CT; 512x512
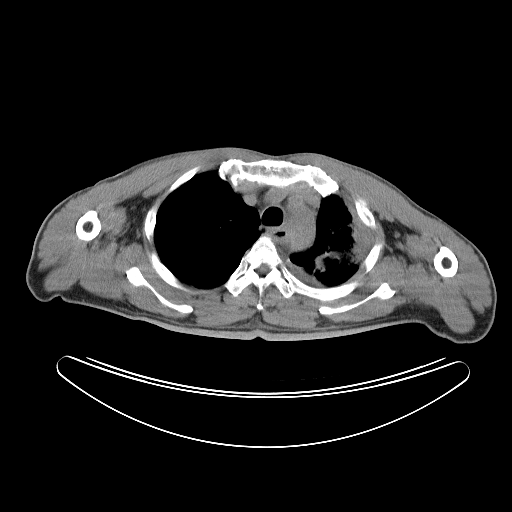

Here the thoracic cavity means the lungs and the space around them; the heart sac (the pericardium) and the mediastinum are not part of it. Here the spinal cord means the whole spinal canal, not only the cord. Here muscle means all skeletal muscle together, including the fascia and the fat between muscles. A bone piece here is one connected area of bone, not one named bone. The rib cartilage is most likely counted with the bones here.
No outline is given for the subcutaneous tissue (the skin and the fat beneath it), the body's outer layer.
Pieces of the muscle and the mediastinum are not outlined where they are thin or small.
Outlined structures:
thoracic cavity 1: [[212,171],[216,171],[217,175],[222,180],[227,181],[233,191],[240,195],[248,206],[253,207],[256,210],[259,221],[257,227],[259,235],[244,252],[238,265],[222,284],[202,288],[181,281],[161,261],[154,243],[154,232],[158,209],[166,197],[195,175]]
thoracic cavity 2: [[337,193],[340,193],[348,201],[355,215],[369,228],[371,247],[367,254],[359,261],[357,270],[348,280],[333,286],[310,285],[299,279],[290,271],[285,263],[285,259],[291,254],[306,251],[314,243],[316,236],[316,220],[322,199],[330,195],[336,195]]
left arm: [[438,216],[461,232],[478,247],[487,260],[495,283],[497,293],[497,301],[494,321],[488,333],[477,342],[455,343],[448,339],[436,335],[427,327],[418,323],[420,297],[416,283],[416,253],[419,241],[419,236],[423,228],[425,227],[425,225],[431,219]]
bones 1: [[262,234],[271,238],[279,254],[285,258],[286,267],[302,282],[314,287],[333,287],[356,279],[360,284],[346,296],[324,302],[299,293],[286,298],[272,283],[263,291],[263,309],[259,310],[256,307],[258,289],[252,283],[237,296],[233,296],[222,285]] with a hole at [[261,264],[266,264],[269,267],[269,270],[268,271],[268,272],[267,272],[264,275],[260,275],[256,271],[256,269]]
bones 2: [[231,158],[244,161],[278,159],[302,165],[310,164],[317,166],[337,182],[339,188],[338,192],[323,197],[312,187],[302,186],[299,183],[279,187],[275,185],[260,185],[256,182],[251,182],[243,187],[235,188],[229,181],[222,179],[217,172],[220,164]]
bones 3: [[382,282],[387,282],[390,287],[395,290],[395,293],[390,298],[387,299],[380,299],[377,297],[374,297],[346,311],[339,312],[338,313],[333,313],[328,315],[324,315],[319,312],[318,309],[321,305],[336,306],[340,304],[349,304],[359,301],[372,293]]
bones 4: [[132,266],[138,267],[144,278],[155,289],[155,290],[163,297],[175,304],[188,304],[192,306],[193,310],[190,313],[182,313],[163,304],[157,298],[153,292],[146,286],[143,285],[142,286],[134,286],[130,283],[128,280],[125,272],[128,268]]
bones 5: [[90,209],[93,209],[97,212],[97,215],[98,216],[98,218],[101,224],[101,228],[98,234],[94,238],[93,238],[89,241],[85,241],[84,240],[79,239],[77,237],[76,235],[76,233],[75,232],[75,226],[76,225],[76,223],[78,219],[86,211]]
bones 6: [[441,245],[444,245],[445,246],[447,246],[454,253],[454,254],[457,258],[457,261],[458,262],[457,271],[456,273],[452,277],[442,277],[441,275],[439,273],[438,273],[438,272],[434,267],[434,265],[433,264],[433,257],[434,255],[438,251],[439,247]]
bones 7: [[152,252],[155,252],[157,254],[160,261],[187,288],[188,288],[191,291],[191,292],[190,291],[185,291],[184,290],[179,289],[176,287],[174,287],[167,283],[159,276],[159,275],[156,272],[156,271],[152,266],[152,264],[149,258],[149,254]]
bones 8: [[357,196],[362,198],[366,202],[367,204],[367,206],[373,214],[374,216],[374,218],[375,219],[375,228],[374,229],[371,229],[369,227],[365,225],[358,217],[356,213],[356,209],[355,208],[355,205],[354,204],[354,198]]
bones 9: [[376,242],[381,242],[382,243],[382,247],[380,250],[380,253],[379,254],[379,256],[376,262],[372,267],[372,268],[367,273],[364,273],[364,271],[365,269],[363,267],[362,268],[359,268],[359,266],[360,264],[363,261],[365,257],[368,254],[372,246]]
bones 10: [[152,206],[156,206],[158,208],[157,209],[157,211],[156,212],[156,215],[155,216],[155,226],[154,227],[154,231],[153,232],[153,241],[152,242],[150,242],[148,240],[144,232],[144,219],[145,218],[145,216],[146,215],[146,213],[147,211]]
bones 11: [[195,166],[199,166],[200,167],[200,169],[199,171],[190,179],[189,179],[187,181],[186,181],[184,183],[180,185],[177,188],[176,188],[174,190],[170,192],[167,195],[166,195],[166,191],[170,187],[170,186],[182,174],[183,174],[189,169]]
muscle: [[219,148],[250,150],[272,157],[298,154],[322,155],[364,171],[392,187],[420,212],[452,230],[472,248],[482,263],[489,281],[492,304],[479,327],[469,334],[455,334],[438,313],[427,307],[397,308],[383,316],[349,321],[316,330],[276,327],[263,321],[259,316],[239,324],[207,327],[90,293],[69,290],[46,291],[35,267],[34,258],[39,251],[39,244],[49,221],[72,198],[97,185],[117,180],[154,161],[184,153]], around holes outlined by [[231,158],[317,166],[337,182],[355,213],[354,198],[366,202],[375,219],[375,228],[369,229],[371,245],[381,242],[382,247],[367,273],[358,268],[349,278],[359,281],[356,288],[324,302],[299,293],[286,298],[272,283],[263,291],[259,310],[252,283],[233,296],[221,284],[202,288],[182,281],[191,292],[159,276],[149,258],[157,252],[155,244],[144,232],[147,211],[158,208],[189,169],[199,166],[198,174],[216,171]] and by [[382,282],[387,282],[390,287],[395,290],[395,293],[390,298],[387,299],[380,299],[377,297],[374,297],[346,311],[339,312],[338,313],[333,313],[328,315],[324,315],[319,312],[318,309],[321,305],[336,306],[340,304],[349,304],[359,301],[372,293]] and by [[132,266],[138,267],[144,278],[155,289],[155,290],[163,297],[175,304],[188,304],[192,306],[193,310],[190,313],[182,313],[163,304],[157,298],[153,292],[146,286],[143,285],[142,286],[134,286],[130,283],[128,280],[125,272],[128,268]] and by [[90,209],[93,209],[97,212],[97,215],[98,216],[98,218],[101,224],[101,228],[98,234],[94,238],[93,238],[89,241],[85,241],[84,240],[79,239],[77,237],[76,235],[76,233],[75,232],[75,226],[76,225],[76,223],[78,219],[86,211]] and by [[441,245],[444,245],[445,246],[447,246],[454,253],[454,254],[457,258],[457,261],[458,262],[457,271],[456,273],[452,277],[442,277],[441,275],[439,273],[438,273],[438,272],[434,267],[434,265],[433,264],[433,257],[434,255],[438,251],[439,247]] and by [[137,197],[140,197],[142,199],[149,199],[150,198],[152,198],[152,199],[149,206],[144,212],[140,226],[135,232],[134,239],[129,241],[129,238],[125,235],[130,229],[130,226],[132,222],[129,219],[129,214],[128,213],[129,207],[125,203],[127,201]] and by [[383,221],[385,221],[391,224],[400,225],[405,229],[405,231],[402,235],[402,238],[401,240],[400,239],[395,239],[393,241],[393,246],[391,246],[387,242],[387,235],[385,231],[385,227],[383,224]]
spinal cord: [[261,264],[266,264],[269,267],[269,270],[268,271],[268,272],[267,272],[264,275],[260,275],[256,271],[256,269]]
torso: [[210,146],[239,146],[272,154],[298,151],[329,154],[379,174],[437,215],[424,225],[418,236],[415,253],[415,283],[419,297],[417,323],[320,339],[232,339],[176,332],[146,321],[69,303],[58,297],[107,246],[112,223],[112,196],[101,179],[154,156]]
mediastinum: [[251,183],[279,188],[299,184],[302,187],[312,188],[322,197],[315,220],[314,240],[306,250],[294,252],[283,257],[272,238],[267,233],[260,234],[258,229],[260,221],[257,210],[253,206],[248,205],[242,196],[233,189],[243,188]]
right arm: [[100,179],[111,196],[111,223],[109,229],[109,237],[104,250],[88,268],[74,281],[72,285],[59,296],[53,298],[48,302],[42,302],[37,300],[31,294],[26,285],[25,272],[31,255],[34,239],[42,221],[49,211],[66,196],[78,189],[91,185]]